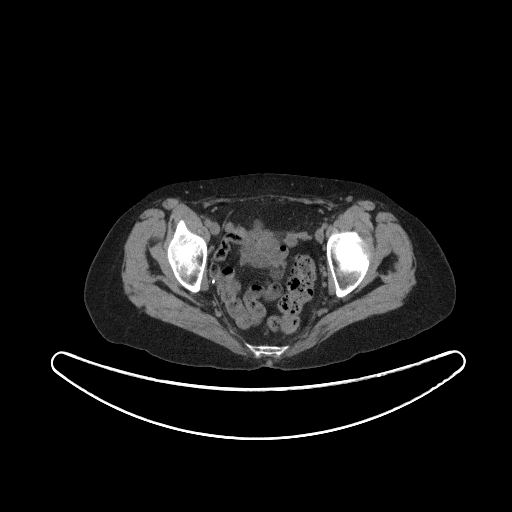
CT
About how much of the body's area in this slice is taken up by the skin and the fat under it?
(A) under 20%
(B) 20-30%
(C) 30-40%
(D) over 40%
(C) 30-40%
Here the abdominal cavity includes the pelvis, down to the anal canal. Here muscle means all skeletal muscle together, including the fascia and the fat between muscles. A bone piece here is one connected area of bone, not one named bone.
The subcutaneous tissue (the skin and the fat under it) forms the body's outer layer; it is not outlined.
{"muscle":[{"outer":[[262,194],[322,198],[344,204],[357,200],[377,200],[386,204],[401,222],[416,259],[416,282],[403,304],[385,313],[351,323],[309,349],[278,361],[245,357],[142,312],[124,292],[121,265],[124,244],[133,225],[156,198],[197,200],[207,196],[247,197]],"hole":[[266,199],[339,211],[326,226],[326,237],[354,230],[370,254],[363,279],[342,297],[336,296],[327,267],[324,298],[300,333],[278,357],[257,358],[220,308],[207,268],[199,291],[186,289],[173,273],[167,247],[180,219],[209,243],[210,232],[193,208]]}],"abdominal_cavity":[[[266,199],[298,202],[307,205],[318,204],[328,210],[339,211],[325,228],[327,238],[325,241],[327,289],[324,298],[300,333],[285,344],[250,343],[228,321],[209,286],[207,262],[210,232],[201,216],[193,208],[209,208],[213,204],[220,202],[263,201]]],"torso":[[[264,172],[360,182],[383,192],[419,218],[441,246],[452,269],[456,300],[451,313],[433,327],[411,338],[359,353],[344,361],[297,370],[189,366],[166,361],[144,350],[103,338],[86,311],[83,289],[89,266],[114,222],[141,198],[164,185]]],"bones":[[[352,230],[354,230],[358,233],[367,244],[369,248],[370,252],[369,255],[369,265],[367,271],[360,283],[353,290],[346,295],[342,297],[337,297],[335,293],[335,286],[331,274],[331,271],[329,269],[327,263],[326,241],[328,237],[333,232],[351,231]],[[180,219],[182,219],[184,221],[187,228],[190,231],[201,236],[205,240],[207,244],[207,261],[206,262],[206,267],[202,275],[200,289],[197,292],[192,292],[186,289],[176,279],[167,258],[167,247],[170,240],[173,236],[176,225]],[[245,342],[247,342],[250,344],[253,344],[254,345],[288,345],[288,348],[278,357],[277,357],[274,354],[273,354],[272,355],[266,355],[265,354],[262,354],[260,356],[260,357],[257,358],[256,357],[255,357],[254,354],[245,345],[245,344],[244,343]]]}